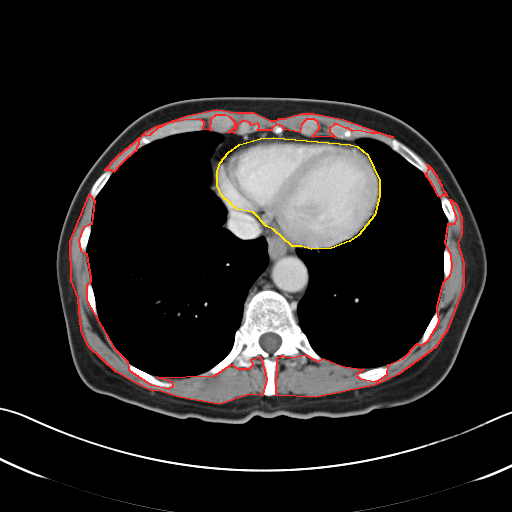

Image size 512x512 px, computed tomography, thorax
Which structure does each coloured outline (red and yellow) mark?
red: muscle; yellow: pericardium.
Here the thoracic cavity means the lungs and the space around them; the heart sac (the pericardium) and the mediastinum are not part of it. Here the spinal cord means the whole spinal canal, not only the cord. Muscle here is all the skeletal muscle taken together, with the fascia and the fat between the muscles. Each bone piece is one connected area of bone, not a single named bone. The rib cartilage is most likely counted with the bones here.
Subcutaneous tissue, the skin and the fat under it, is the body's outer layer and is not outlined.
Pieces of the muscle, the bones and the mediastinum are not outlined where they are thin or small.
{"muscle":[[[89,194],[94,200],[91,224],[83,227],[78,240],[80,250],[86,253],[90,278],[90,282],[86,285],[86,300],[113,347],[127,361],[128,369],[150,384],[169,388],[173,385],[172,382],[157,377],[214,375],[231,364],[237,368],[249,368],[253,364],[251,359],[260,356],[266,378],[262,395],[249,394],[219,404],[179,397],[158,390],[152,391],[116,372],[88,346],[81,330],[78,298],[71,280],[70,241]],[[450,199],[456,204],[461,217],[461,234],[457,242],[463,262],[463,286],[447,329],[435,347],[398,374],[374,385],[315,397],[276,395],[277,358],[281,355],[291,357],[305,354],[317,361],[323,358],[343,366],[363,369],[356,375],[359,378],[376,381],[387,374],[388,364],[403,358],[417,343],[421,345],[428,340],[439,321],[437,307],[443,282],[450,275],[452,267],[451,254],[445,243],[448,223],[455,223],[457,218]],[[216,109],[236,112],[253,112],[270,120],[276,120],[279,118],[284,118],[301,113],[313,113],[343,119],[393,137],[380,133],[370,133],[357,130],[352,131],[348,128],[345,128],[337,124],[334,124],[329,128],[329,131],[335,137],[312,136],[319,128],[318,122],[314,119],[306,119],[301,124],[299,132],[284,129],[282,126],[276,124],[271,128],[271,130],[258,130],[259,125],[257,123],[251,125],[249,122],[243,120],[236,125],[234,133],[228,132],[235,126],[235,122],[230,117],[225,115],[215,115],[210,119],[209,128],[211,130],[203,129],[204,122],[200,119],[183,120],[168,123],[161,127],[158,127],[149,135],[145,136],[142,135],[146,131],[155,126],[187,115]],[[139,137],[140,137],[138,141],[138,144],[135,149],[136,150],[135,151],[134,151],[129,156],[128,156],[116,168],[116,169],[113,172],[111,170],[105,170],[105,169],[110,164],[110,163],[120,153],[121,153],[126,148],[127,148],[131,144],[132,144]],[[427,164],[432,169],[432,170],[436,175],[437,178],[439,180],[439,182],[441,184],[441,186],[443,190],[445,192],[447,196],[445,195],[442,195],[440,197],[438,196],[434,187],[432,185],[432,184],[425,174],[427,173],[428,169],[429,168]]],"pericardium":[[[273,137],[350,144],[357,146],[367,154],[379,180],[379,196],[374,215],[358,235],[349,241],[331,248],[311,249],[301,246],[292,246],[273,229],[266,226],[253,212],[237,209],[222,196],[217,185],[217,171],[220,162],[228,152],[239,144],[260,138]]],"spinal_cord":[[[268,332],[271,332],[272,333],[277,334],[280,337],[280,339],[281,340],[279,346],[272,353],[269,353],[267,351],[264,350],[263,349],[263,348],[260,345],[260,343],[259,342],[260,337],[263,334],[264,334],[265,333],[267,333]]],"bones":[{"outer":[[263,290],[273,290],[290,304],[296,304],[293,312],[297,323],[322,358],[317,360],[305,353],[279,355],[276,358],[274,395],[263,393],[267,378],[260,355],[250,359],[252,364],[249,367],[237,367],[231,363],[217,373],[202,375],[229,353],[246,303]],"hole":[[268,332],[271,332],[272,333],[277,334],[280,337],[280,339],[281,340],[279,346],[272,353],[269,353],[267,351],[264,350],[263,349],[263,348],[260,345],[260,343],[259,342],[260,337],[263,334],[264,334],[265,333],[267,333]]},[[334,125],[341,126],[352,132],[357,131],[370,134],[380,134],[390,138],[395,138],[414,152],[426,164],[428,168],[426,173],[424,173],[418,169],[387,145],[378,140],[367,137],[356,138],[353,136],[348,139],[337,138],[330,131],[330,128]],[[195,120],[200,120],[203,122],[203,127],[201,130],[187,131],[186,132],[169,135],[160,139],[156,139],[136,149],[139,144],[140,138],[142,136],[147,137],[149,136],[152,132],[158,128],[161,128],[168,124],[171,124],[176,122],[194,121]],[[127,362],[137,367],[139,369],[149,374],[151,374],[155,376],[160,381],[163,381],[164,382],[169,382],[170,383],[172,383],[172,385],[169,387],[165,387],[164,386],[158,386],[152,383],[150,383],[138,377],[136,375],[135,375],[129,369],[127,365]],[[215,116],[225,116],[226,117],[228,117],[230,118],[234,122],[234,126],[232,127],[231,129],[230,129],[229,131],[227,132],[217,132],[216,131],[214,131],[212,130],[210,128],[210,121],[211,119]],[[385,365],[388,366],[388,371],[385,375],[384,375],[382,377],[376,380],[366,380],[365,379],[363,379],[359,377],[357,375],[358,373],[360,373],[367,369],[370,369],[371,368],[375,368],[376,367],[379,367],[380,366],[384,366]],[[105,171],[111,171],[112,172],[112,173],[111,174],[110,177],[106,182],[106,183],[103,186],[103,187],[100,190],[100,191],[97,194],[97,195],[94,199],[93,198],[92,198],[92,197],[90,195],[90,190],[91,189],[94,182],[98,178],[98,177]],[[442,196],[445,196],[447,197],[451,202],[453,206],[453,208],[454,209],[454,213],[455,214],[455,217],[456,218],[456,221],[455,222],[448,222],[447,220],[447,218],[441,206],[441,202],[440,201],[440,198]],[[436,310],[437,310],[438,311],[438,321],[437,322],[437,323],[436,324],[432,333],[427,339],[427,340],[424,343],[422,343],[421,344],[418,343],[418,342],[421,338],[421,337],[422,336],[426,327],[428,325],[431,318],[433,316],[433,315],[436,311]],[[306,120],[314,120],[315,121],[316,121],[317,122],[317,123],[318,124],[318,128],[314,132],[314,133],[311,136],[307,136],[306,135],[304,135],[303,134],[302,134],[300,132],[300,130],[301,129],[301,126],[302,125],[302,124]]],"torso":[[[213,96],[312,98],[368,106],[409,124],[441,154],[478,224],[487,273],[455,361],[430,392],[406,404],[359,415],[306,419],[255,415],[233,424],[162,414],[93,391],[82,381],[72,360],[56,277],[58,240],[72,198],[98,157],[138,117],[170,102]]],"thoracic_cavity":[[[202,130],[222,137],[209,157],[211,179],[205,184],[226,209],[221,227],[243,241],[263,238],[268,259],[248,288],[241,322],[228,353],[201,373],[184,377],[156,376],[132,364],[120,353],[98,317],[86,252],[94,202],[112,174],[138,149],[169,136]],[[361,138],[384,144],[422,172],[439,198],[447,221],[442,251],[443,281],[435,311],[418,341],[405,354],[390,363],[366,369],[322,357],[311,345],[294,312],[309,283],[308,268],[297,251],[340,248],[358,238],[376,213],[380,180],[368,154],[356,141]]],"mediastinum":[[[260,130],[356,140],[360,147],[260,137],[239,143],[219,162],[216,185],[228,203],[253,213],[290,246],[310,249],[296,251],[308,272],[297,303],[263,289],[244,306],[267,266],[267,242],[243,240],[222,227],[227,209],[206,185],[219,133]]]}